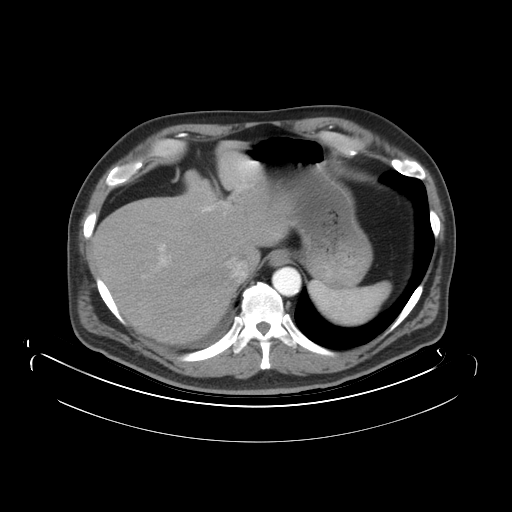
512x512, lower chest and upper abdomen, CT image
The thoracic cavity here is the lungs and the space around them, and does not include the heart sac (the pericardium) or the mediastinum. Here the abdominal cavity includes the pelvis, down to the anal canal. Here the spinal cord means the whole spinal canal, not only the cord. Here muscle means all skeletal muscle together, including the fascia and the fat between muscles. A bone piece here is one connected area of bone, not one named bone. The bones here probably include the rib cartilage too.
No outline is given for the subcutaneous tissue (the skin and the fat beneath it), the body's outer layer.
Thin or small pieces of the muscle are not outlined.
{"muscle":[[[324,116],[351,120],[417,160],[393,157],[389,165],[360,154],[366,147],[361,138],[332,129],[320,129],[316,136],[307,136],[286,127],[262,123],[216,138],[197,140],[187,140],[185,138],[189,134],[181,131],[173,136],[156,139],[143,155],[112,167],[104,180],[111,189],[99,213],[91,211],[82,224],[82,233],[85,239],[89,239],[91,259],[98,275],[95,278],[97,291],[121,324],[127,324],[155,345],[185,352],[177,357],[182,362],[206,360],[230,347],[234,354],[238,354],[254,339],[261,350],[259,368],[262,370],[250,377],[235,379],[184,375],[121,342],[94,334],[83,327],[76,302],[80,284],[79,223],[97,182],[113,163],[148,136],[172,125],[231,124]],[[418,161],[429,171],[434,181],[444,214],[443,259],[439,284],[440,304],[435,319],[424,327],[402,335],[369,358],[340,371],[295,375],[270,369],[272,339],[278,339],[293,349],[298,345],[310,352],[333,357],[336,355],[333,350],[345,350],[360,346],[381,333],[381,336],[384,337],[397,327],[414,308],[424,290],[422,280],[430,264],[435,239],[439,236],[441,224],[438,214],[429,207],[427,190],[423,181],[426,173]],[[151,158],[161,158],[161,159],[160,159],[159,160],[157,160],[155,162],[154,162],[153,163],[152,163],[151,164],[146,166],[144,168],[143,168],[142,169],[140,169],[140,168],[141,167],[142,167],[144,165],[144,162],[146,160],[146,159],[150,159]]],"thoracic_cavity":[[[392,168],[404,176],[421,180],[425,187],[434,238],[429,264],[421,281],[386,329],[360,345],[330,349],[306,336],[290,314],[294,313],[303,287],[324,320],[335,326],[355,328],[367,324],[389,308],[412,275],[415,210],[405,194],[380,181],[380,177]],[[239,308],[238,313],[233,317],[232,323],[227,331],[216,341],[203,348],[191,351],[176,351],[162,347],[150,341],[150,340],[152,340],[162,345],[176,348],[192,346],[211,336],[222,325],[222,323]]],"abdominal_cavity":[[[262,124],[317,136],[352,157],[348,165],[410,200],[415,242],[405,288],[367,323],[335,325],[314,307],[300,268],[278,251],[242,291],[239,307],[205,339],[176,347],[143,337],[120,313],[92,259],[90,238],[106,196],[138,170],[177,156],[188,141]]],"mediastinum":[[[278,252],[283,252],[286,255],[289,262],[299,268],[299,270],[301,272],[301,275],[303,278],[303,286],[300,290],[292,314],[286,311],[282,297],[268,283],[261,280],[258,280],[255,283],[248,285],[265,260],[270,255]],[[358,154],[362,155],[363,156],[366,156],[370,158],[377,159],[379,161],[390,166],[391,168],[385,171],[379,177],[377,177],[371,174],[368,171],[364,169],[359,168],[357,166],[355,166],[354,165],[348,164],[346,162],[346,160],[350,159]]],"bones":[{"outer":[[258,281],[268,284],[279,294],[285,311],[306,337],[332,350],[335,355],[319,354],[298,344],[293,348],[272,338],[270,368],[261,369],[262,350],[253,338],[238,353],[234,353],[230,346],[202,360],[182,361],[178,358],[220,339],[240,311],[243,291]],"hole":[[261,322],[265,322],[266,323],[267,323],[268,324],[269,324],[269,328],[268,329],[268,330],[265,333],[262,333],[257,328],[257,327],[256,326],[257,325],[257,324],[258,324],[259,323],[260,323]]},[[181,132],[185,132],[188,134],[184,138],[187,143],[185,148],[177,155],[171,158],[146,158],[143,162],[143,165],[127,181],[113,187],[110,187],[105,183],[108,173],[112,168],[131,162],[139,156],[143,156],[152,143],[156,140],[173,137],[177,133]],[[320,130],[332,130],[333,131],[336,131],[337,132],[345,134],[348,136],[351,136],[352,137],[357,137],[361,139],[365,143],[365,147],[357,154],[353,156],[346,156],[338,151],[338,150],[335,147],[330,145],[327,142],[321,139],[317,135],[317,133]],[[393,158],[398,158],[399,159],[405,159],[407,158],[411,160],[415,160],[417,161],[422,166],[424,170],[424,172],[425,173],[425,178],[422,180],[416,177],[412,177],[411,176],[407,176],[406,175],[404,175],[400,172],[397,171],[390,165],[390,160]],[[421,282],[423,283],[423,290],[421,293],[421,295],[419,299],[417,301],[413,308],[405,317],[405,318],[397,326],[396,326],[390,332],[389,332],[384,336],[382,336],[385,330],[386,330],[396,319],[396,318],[408,301],[409,298],[411,296],[415,289]],[[97,277],[99,277],[106,286],[107,289],[109,291],[111,295],[111,297],[115,305],[117,307],[117,309],[119,313],[126,322],[126,324],[123,324],[119,321],[119,320],[108,308],[108,307],[102,299],[98,291],[97,285],[96,284],[96,278]],[[91,212],[95,212],[97,215],[97,217],[96,218],[96,221],[95,222],[95,225],[93,228],[93,231],[91,234],[91,236],[89,238],[85,238],[85,237],[84,236],[84,234],[83,233],[83,224],[84,223],[84,221],[85,220],[86,217]],[[430,209],[432,209],[437,214],[439,218],[439,222],[440,223],[439,225],[439,232],[438,233],[438,236],[436,238],[434,237],[434,235],[433,234],[433,232],[431,228],[431,224],[430,223],[430,215],[429,214],[429,210]]],"torso":[[[313,104],[350,105],[378,113],[413,137],[438,166],[450,196],[456,229],[448,319],[440,339],[409,357],[337,387],[277,396],[222,396],[177,389],[86,347],[74,334],[68,315],[67,226],[78,190],[108,148],[132,127],[160,115],[197,110],[271,110]]],"spinal_cord":[[[261,322],[265,322],[266,323],[267,323],[268,324],[269,324],[269,328],[268,329],[268,330],[265,333],[262,333],[257,328],[257,327],[256,326],[257,325],[257,324],[258,324],[259,323],[260,323]]]}